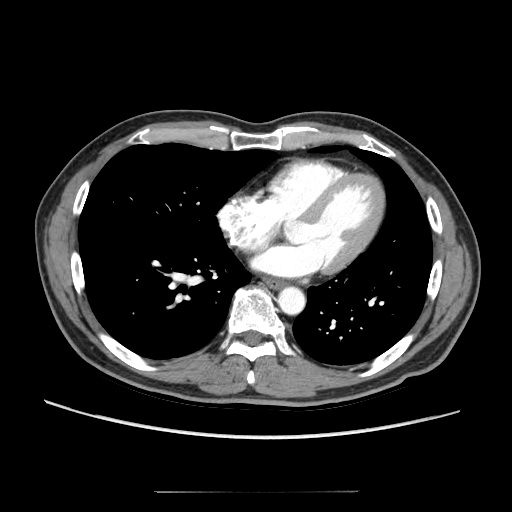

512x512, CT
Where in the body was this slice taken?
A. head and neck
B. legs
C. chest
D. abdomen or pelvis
C. chest
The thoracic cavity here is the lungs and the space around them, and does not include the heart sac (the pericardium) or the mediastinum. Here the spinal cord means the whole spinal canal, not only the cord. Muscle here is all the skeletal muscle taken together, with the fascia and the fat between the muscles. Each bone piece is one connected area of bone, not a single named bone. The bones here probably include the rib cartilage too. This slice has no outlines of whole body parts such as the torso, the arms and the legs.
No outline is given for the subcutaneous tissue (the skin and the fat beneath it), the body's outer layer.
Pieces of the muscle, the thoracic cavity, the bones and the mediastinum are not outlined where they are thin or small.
The mediastinum appears in 2 outlined pieces: piece 1: 250,272 259,276 268,276 282,280 296,281 306,285 325,282 319,285 311,285 307,288 305,307 296,316 290,328 286,327 277,314 277,308 273,302 272,297 265,289 256,285 251,287 243,286 249,283 252,276; piece 2: 333,143 343,143 351,145 349,148 350,152 365,163 347,157 333,155 295,154 281,157 264,169 279,157 279,154 275,151 305,149 310,145 320,145 313,146 309,150 311,153 331,153 344,148 341,144 322,144. The spinal cord is outlined by 249,330 253,330 254,331 257,331 259,332 263,336 263,338 261,342 260,342 256,345 253,345 252,346 244,342 244,341 242,339 242,334 244,332 246,331 248,331. The muscle is outlined by 184,120 214,120 241,130 216,124 140,129 125,141 128,146 114,154 91,182 88,178 83,180 72,204 72,215 79,217 78,250 73,249 69,256 73,287 78,296 85,293 92,312 105,330 98,331 97,337 121,361 135,369 153,372 160,368 152,364 154,360 183,357 220,338 219,351 226,356 241,355 251,363 262,356 275,356 278,351 295,358 303,353 316,362 336,366 365,361 369,363 356,376 360,378 382,370 399,358 415,338 409,331 426,298 433,302 440,288 443,260 440,257 433,260 432,232 440,236 443,225 436,200 431,194 423,200 414,183 393,159 396,153 381,141 400,151 418,173 437,187 449,206 456,234 466,244 472,265 472,284 463,308 437,338 391,371 356,384 320,390 310,396 276,397 251,387 236,393 215,394 193,384 153,379 110,359 70,320 52,290 43,251 46,219 55,210 71,177 105,146 151,123 with a hole at 251,369 253,371 253,374 254,375 254,378 255,379 255,381 254,382 254,383 253,383 252,384 249,384 248,383 248,382 247,381 247,373 248,372 248,371 249,370 250,370. The thoracic cavity appears in 2 outlined pieces: piece 1: 167,142 181,142 221,151 268,149 276,152 278,157 228,197 215,215 227,247 251,276 248,283 239,286 233,292 221,337 183,356 151,359 134,352 109,334 93,312 85,292 78,226 91,183 114,155 133,145; piece 2: 352,146 392,159 413,183 424,202 431,230 432,264 423,306 409,330 370,361 336,365 322,363 306,355 289,341 286,328 292,327 306,307 308,288 335,279 368,247 384,219 386,193 383,180 372,167 351,152. The pericardium is outlined by 295,155 333,156 360,162 373,170 381,178 384,186 385,212 381,224 373,239 347,267 334,277 318,283 306,284 296,280 282,279 268,275 259,275 246,269 228,247 216,216 227,200 258,174 279,159 286,156. The bones appear in 8 outlined pieces: piece 1: 210,125 225,126 231,130 252,133 270,132 283,125 308,125 329,132 365,132 392,150 396,157 390,158 344,142 310,144 305,148 287,150 258,147 221,150 181,141 128,145 126,141 133,134 145,128 200,128; piece 2: 253,286 265,290 271,297 276,308 276,314 285,325 288,341 295,344 302,352 299,357 286,355 278,350 275,355 262,355 251,362 241,354 233,353 226,355 223,350 218,349 234,292 239,287 251,288, around a hole outlined by 249,330 253,330 254,331 257,331 259,332 263,336 263,338 261,342 260,342 256,345 253,345 252,346 244,342 244,341 242,339 242,334 244,332 246,331 248,331; piece 3: 100,331 104,331 106,332 123,346 134,353 141,356 143,358 147,358 153,360 153,362 152,362 151,364 157,366 159,367 159,368 157,370 148,371 147,370 141,370 127,364 114,355 104,345 97,335 98,332; piece 4: 408,332 411,332 413,333 414,334 414,338 407,349 399,357 398,357 394,361 393,361 387,366 370,375 367,375 363,377 357,376 362,371 365,370 368,367 367,366 370,363 368,362 370,362 373,359 389,349; piece 5: 73,250 76,250 78,251 78,253 81,260 81,265 82,266 82,271 83,272 83,278 85,283 84,291 80,296 78,295 74,287 74,284 72,279 72,275 71,274 71,263 70,262 70,256; piece 6: 437,258 440,258 442,260 441,280 440,281 440,284 439,285 439,288 438,289 437,294 433,301 431,301 427,297 426,291 427,290 427,286 428,285 428,282 429,281 429,277 430,276 430,273 431,272 433,261; piece 7: 428,195 431,195 435,200 439,210 439,213 441,218 441,224 442,225 442,231 440,235 432,231 430,224 429,223 429,220 428,219 428,216 426,211 426,207 425,206 425,201; piece 8: 86,179 88,179 90,181 89,189 88,190 88,192 87,193 87,195 86,196 86,198 85,199 82,210 79,216 74,216 73,215 73,204 75,200 75,197 76,196 76,194 79,187 84,181 84,180.